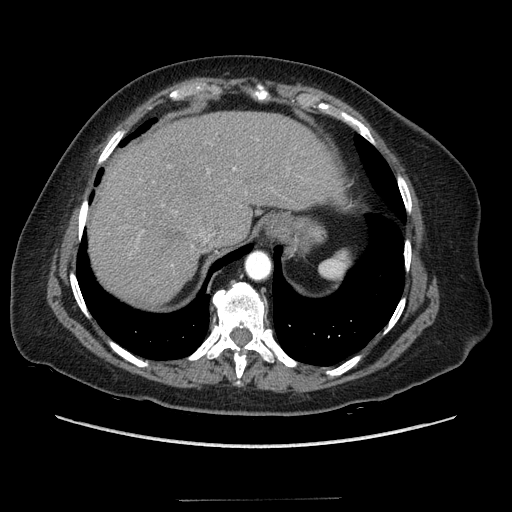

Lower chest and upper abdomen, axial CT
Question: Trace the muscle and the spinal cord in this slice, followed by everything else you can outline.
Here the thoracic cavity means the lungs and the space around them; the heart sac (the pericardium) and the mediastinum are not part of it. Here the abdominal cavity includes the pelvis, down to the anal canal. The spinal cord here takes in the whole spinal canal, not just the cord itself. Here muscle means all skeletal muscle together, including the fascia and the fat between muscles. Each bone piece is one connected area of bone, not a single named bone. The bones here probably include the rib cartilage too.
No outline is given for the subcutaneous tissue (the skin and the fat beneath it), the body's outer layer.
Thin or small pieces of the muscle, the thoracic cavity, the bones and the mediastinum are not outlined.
Answer: muscle: 197 76; 221 77; 226 79; 253 76; 259 79; 269 79; 286 84; 294 85; 300 83; 302 85; 307 85; 321 89; 341 99; 361 113; 384 140; 386 144; 395 153; 403 165; 405 172; 409 177; 415 193; 420 202; 422 220; 425 227; 424 235; 425 237; 424 241; 425 265; 429 275; 431 276; 433 274; 435 275; 437 279; 438 290; 440 295; 440 304; 437 315; 433 323; 426 327; 410 346; 397 359; 387 366; 363 377; 344 382; 341 384; 313 391; 294 394; 278 393; 271 390; 260 390; 259 389; 243 390; 237 389; 235 387; 225 387; 218 385; 204 385; 201 389; 194 387; 174 387; 131 373; 129 371; 117 367; 98 357; 84 347; 73 334; 63 326; 55 316; 46 299; 47 280; 50 270; 50 265; 52 261; 52 256; 57 244; 61 241; 64 231; 62 226; 66 222; 67 215; 71 208; 70 205; 72 203; 72 199; 78 190; 79 184; 78 179; 82 176; 96 148; 104 140; 107 134; 120 121; 128 115; 135 107; 150 96; 175 82 with a hole at 255 79; 273 100; 299 107; 292 99; 309 93; 358 119; 394 176; 405 178; 411 213; 403 235; 411 241; 411 260; 404 308; 393 327; 380 331; 338 376; 325 373; 334 365; 289 367; 250 350; 238 386; 229 348; 211 359; 148 359; 139 367; 110 347; 110 337; 84 315; 70 284; 79 208; 104 166; 97 160; 118 129; 126 135; 173 102; 171 91; 205 82; 225 92; 253 87
spinal cord: 234 328; 246 328; 250 332; 250 333; 251 334; 251 338; 250 339; 250 340; 249 341; 248 341; 244 345; 243 345; 242 346; 240 346; 239 345; 236 344; 235 343; 235 342; 231 338; 231 337; 230 336; 230 334; 231 333; 232 330
abdominal cavity: 236 87; 257 102; 280 100; 317 113; 375 203; 378 213; 365 216; 367 246; 339 287; 321 298; 294 290; 282 272; 282 246; 262 234; 214 261; 193 299; 177 310; 156 313; 120 301; 98 283; 87 251; 89 206; 104 164; 187 98
torso: 223 54; 271 56; 339 73; 427 131; 463 165; 481 206; 478 253; 491 298; 493 324; 458 367; 381 402; 355 403; 313 415; 253 417; 181 411; 110 394; 21 355; 9 321; 12 259; 21 229; 67 146; 96 109; 134 78; 177 61
bones 1: 240 281; 266 299; 267 319; 275 340; 299 363; 295 367; 277 359; 271 363; 250 350; 241 376; 243 384; 238 386; 234 384; 235 363; 229 348; 211 359; 205 355; 195 360; 186 357; 210 332; 215 313; 211 296; 216 290; 228 289; inner edge: 234 328; 246 328; 250 332; 250 333; 251 334; 251 338; 250 339; 250 340; 249 341; 248 341; 244 345; 243 345; 242 346; 240 346; 239 345; 236 344; 235 343; 235 342; 231 338; 231 337; 230 336; 230 334; 231 333; 232 330
bones 2: 300 93; 309 93; 310 94; 317 95; 320 101; 328 103; 358 119; 368 128; 377 144; 377 148; 357 132; 355 129; 340 119; 329 115; 326 115; 318 108; 312 108; 311 107; 304 108; 301 107; 295 100; 292 101; 292 99; 294 99
bones 3: 195 82; 205 82; 208 84; 218 85; 220 86; 222 89; 222 92; 221 93; 212 95; 207 91; 202 91; 201 92; 198 92; 194 95; 188 96; 184 99; 177 101; 174 101; 169 98; 168 95; 171 91; 179 88; 183 85; 191 84
bones 4: 118 129; 124 129; 126 131; 124 136; 119 141; 119 142; 117 144; 117 145; 115 147; 115 148; 113 150; 113 151; 111 153; 109 157; 102 164; 98 166; 97 165; 97 160; 103 148; 105 146; 105 145; 107 143; 109 139
bones 5: 108 338; 110 338; 113 341; 117 343; 121 347; 127 350; 135 356; 139 358; 141 358; 144 360; 147 360; 148 362; 148 365; 146 367; 139 367; 131 363; 129 361; 124 359; 121 356; 116 353; 110 347; 110 346; 107 343; 107 339
bones 6: 71 270; 73 270; 75 273; 75 275; 78 282; 78 285; 79 286; 82 297; 84 300; 85 305; 89 313; 92 317; 90 319; 87 318; 81 311; 74 297; 74 295; 71 288; 71 285; 70 284; 70 280; 69 279; 69 273
bones 7: 359 353; 363 354; 362 358; 353 367; 352 367; 347 371; 344 372; 342 374; 338 376; 334 376; 333 377; 331 377; 327 375; 325 373; 325 371; 326 370; 329 370; 330 369; 332 369; 336 367; 338 365; 341 364; 354 355; 358 354
bones 8: 255 79; 257 79; 262 82; 264 87; 270 93; 271 95; 271 97; 272 98; 271 100; 269 100; 268 101; 257 101; 253 98; 252 98; 247 93; 246 91; 247 90; 247 88; 248 86; 253 87; 255 85; 255 81; 254 80
bones 9: 397 173; 400 173; 405 178; 408 188; 409 189; 409 193; 411 198; 411 213; 410 214; 407 214; 404 204; 403 203; 403 201; 402 200; 402 197; 401 196; 401 194; 397 184; 397 180; 396 179; 396 175
bones 10: 85 196; 87 197; 87 200; 88 201; 88 211; 87 212; 87 217; 86 218; 86 221; 85 222; 85 227; 84 228; 84 230; 82 234; 82 237; 81 238; 81 240; 79 241; 78 239; 78 214; 79 213; 79 208; 80 207; 80 205
bones 11: 402 296; 405 296; 405 297; 406 298; 406 301; 405 302; 405 305; 404 306; 404 308; 403 309; 398 320; 393 326; 393 327; 386 334; 383 335; 382 334; 382 331; 385 327; 385 326; 388 323; 391 316; 393 314; 393 313
bones 12: 406 238; 408 238; 411 241; 411 260; 410 261; 410 264; 409 265; 409 270; 408 271; 408 272; 407 273; 406 273; 405 272; 405 268; 404 267; 404 257; 403 256; 403 252; 404 251; 404 241; 405 240; 405 239
thoracic cavity 1: 356 133; 376 148; 388 164; 406 213; 403 289; 382 330; 357 353; 336 366; 304 363; 285 352; 268 319; 272 315; 274 248; 281 246; 282 275; 300 296; 321 299; 340 287; 360 252; 368 246; 366 216; 389 211; 365 172; 354 143
thoracic cavity 2: 85 228; 89 266; 101 288; 134 309; 156 314; 171 313; 186 306; 197 295; 214 262; 247 244; 253 245; 248 253; 208 276; 207 291; 210 294; 210 309; 214 313; 203 341; 185 357; 145 359; 113 340; 86 305; 75 272; 78 247
thoracic cavity 3: 150 117; 155 117; 156 118; 156 121; 154 123; 153 123; 145 131; 144 131; 133 139; 131 139; 125 145; 123 146; 118 146; 118 144; 120 142; 120 141; 127 134; 131 132; 144 120
mediastinum 1: 262 235; 268 240; 273 240; 275 242; 272 254; 271 315; 269 313; 269 303; 267 299; 261 298; 254 287; 246 281; 236 281; 228 288; 220 287; 211 295; 208 291; 209 276; 215 271; 219 269; 221 270; 248 254; 253 249; 254 242
mediastinum 2: 318 113; 340 120; 355 130; 356 132; 353 136; 353 143; 355 150; 372 188; 375 193; 381 197; 386 205; 388 210; 387 213; 381 214; 378 212; 376 203; 370 198; 368 192; 362 188; 351 164; 328 134; 323 125; 316 119; 315 116
mediastinum 3: 186 98; 187 99; 187 103; 186 105; 183 107; 177 109; 173 109; 168 112; 162 113; 157 116; 150 116; 147 117; 154 110; 155 110; 156 108; 161 105; 166 104; 169 102; 177 102; 178 101; 181 101; 184 100